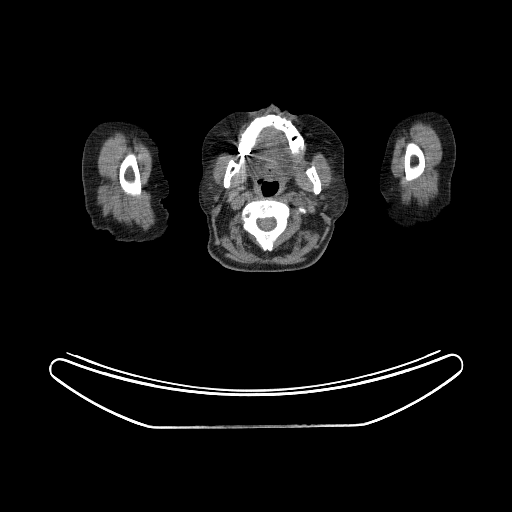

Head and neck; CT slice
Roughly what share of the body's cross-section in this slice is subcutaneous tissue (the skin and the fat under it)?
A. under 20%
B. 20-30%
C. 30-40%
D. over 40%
C. 30-40%
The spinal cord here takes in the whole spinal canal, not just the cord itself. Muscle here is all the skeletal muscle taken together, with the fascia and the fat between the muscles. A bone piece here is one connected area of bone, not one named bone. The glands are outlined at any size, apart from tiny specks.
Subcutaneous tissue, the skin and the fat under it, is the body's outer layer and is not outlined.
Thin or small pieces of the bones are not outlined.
The spinal cord is outlined by [[271,217],[272,217],[273,218],[274,218],[275,219],[275,221],[276,222],[276,223],[275,224],[275,226],[273,228],[272,228],[269,230],[263,230],[262,229],[261,229],[258,226],[258,225],[257,224],[257,219],[259,219],[260,218],[270,218]]. The head and neck is outlined by [[271,92],[272,101],[281,109],[287,107],[293,114],[315,115],[337,134],[344,148],[348,202],[335,221],[324,253],[315,263],[292,271],[238,271],[222,266],[207,251],[206,215],[198,201],[201,147],[205,135],[219,120],[235,111],[253,111],[267,106]]; inner edge: [[262,181],[265,181],[266,182],[273,182],[274,181],[275,181],[276,182],[277,182],[277,183],[278,184],[278,186],[277,187],[277,190],[274,193],[273,193],[270,195],[265,195],[263,193],[263,192],[262,191],[262,186],[260,183],[260,182],[261,182]]. The bones appear in 5 outlined pieces: piece 1: [[269,113],[278,114],[293,123],[304,138],[304,152],[293,155],[284,134],[268,127],[256,140],[250,154],[244,156],[244,161],[240,164],[238,171],[231,177],[229,187],[225,188],[223,177],[229,161],[238,163],[241,158],[238,151],[241,134],[254,118]]; piece 2: [[264,198],[271,198],[283,202],[287,204],[290,209],[290,214],[287,221],[286,228],[274,241],[273,248],[271,251],[268,250],[264,251],[262,250],[257,242],[256,238],[243,228],[242,226],[243,221],[241,219],[241,211],[246,203],[254,200],[260,200]] with a hole at [[271,217],[272,217],[273,218],[274,218],[275,219],[275,221],[276,222],[276,223],[275,224],[275,226],[273,228],[272,228],[269,230],[263,230],[262,229],[261,229],[258,226],[258,225],[257,224],[257,219],[259,219],[260,218],[270,218]]; piece 3: [[129,153],[133,153],[135,155],[136,160],[137,161],[137,164],[138,165],[138,169],[139,170],[139,177],[140,178],[140,182],[141,183],[141,193],[137,196],[133,196],[132,195],[127,194],[122,189],[119,181],[119,167],[120,166],[120,164],[126,155]]; piece 4: [[409,142],[413,142],[415,143],[417,145],[418,145],[422,150],[423,154],[424,155],[425,165],[424,166],[424,169],[422,173],[418,177],[417,177],[413,180],[407,181],[405,179],[405,170],[404,169],[404,156],[405,155],[405,149],[406,148],[406,146]]; piece 5: [[312,165],[313,165],[315,167],[315,169],[318,174],[318,176],[321,182],[321,189],[320,190],[320,192],[318,194],[315,194],[313,192],[313,184],[312,182],[309,179],[308,176],[306,174],[306,169],[307,169]]. The left arm is outlined by [[424,110],[435,110],[443,114],[449,121],[454,134],[456,144],[456,159],[451,178],[451,200],[450,204],[435,222],[424,223],[416,229],[404,229],[396,225],[390,219],[384,209],[384,199],[380,192],[378,183],[380,168],[387,139],[394,125],[403,117]]. The muscle appears in 3 outlined pieces: piece 1: [[264,112],[270,112],[258,115],[254,117],[244,130],[240,134],[237,145],[240,158],[238,162],[230,159],[227,163],[222,177],[225,189],[230,187],[245,156],[251,154],[257,140],[268,128],[283,134],[293,156],[305,152],[303,134],[289,118],[276,113],[298,120],[312,132],[332,167],[329,184],[323,191],[330,217],[328,231],[311,255],[293,264],[238,262],[224,256],[214,242],[211,209],[216,194],[221,190],[212,171],[214,158],[230,131],[250,117]], around holes outlined by [[264,198],[271,198],[283,202],[287,204],[290,209],[290,214],[287,221],[286,228],[274,241],[273,248],[271,251],[268,250],[264,251],[262,250],[257,242],[256,238],[243,228],[242,226],[243,221],[241,219],[241,211],[246,203],[254,200],[260,200]] and by [[312,165],[313,165],[315,167],[315,169],[318,174],[318,176],[321,182],[321,189],[320,190],[320,192],[318,194],[315,194],[313,192],[313,184],[312,182],[309,179],[308,176],[306,174],[306,169],[307,169]] and by [[262,181],[265,181],[266,182],[273,182],[274,181],[275,181],[276,182],[277,182],[277,183],[278,184],[278,186],[277,187],[277,190],[274,193],[273,193],[270,195],[265,195],[263,193],[263,192],[262,191],[262,186],[260,183],[260,182],[261,182]]; piece 2: [[115,131],[123,131],[135,135],[149,148],[151,152],[152,170],[149,182],[149,189],[152,195],[153,211],[155,214],[156,220],[155,223],[148,230],[125,227],[114,221],[109,221],[103,217],[97,208],[97,204],[95,200],[97,157],[102,142]], around a hole outlined by [[129,153],[133,153],[135,155],[136,160],[137,161],[137,164],[138,165],[138,169],[139,170],[139,177],[140,178],[140,182],[141,183],[141,193],[137,196],[133,196],[132,195],[127,194],[122,189],[119,181],[119,167],[120,166],[120,164],[126,155]]; piece 3: [[414,120],[423,121],[430,124],[434,128],[440,138],[443,151],[441,160],[441,170],[439,176],[439,192],[432,200],[431,204],[426,208],[414,208],[403,204],[396,192],[396,189],[391,177],[390,166],[395,145],[396,135],[401,128],[408,125],[410,122]]; inner edge: [[409,142],[413,142],[415,143],[417,145],[418,145],[422,150],[423,154],[424,155],[425,165],[424,166],[424,169],[422,173],[418,177],[417,177],[413,180],[407,181],[405,179],[405,170],[404,169],[404,156],[405,155],[405,149],[406,148],[406,146]]. The right arm is outlined by [[114,119],[125,119],[141,125],[147,130],[159,148],[162,171],[169,185],[168,194],[162,200],[162,204],[169,212],[169,227],[161,237],[152,241],[116,240],[107,230],[93,229],[85,210],[81,180],[81,160],[84,144],[87,136],[96,125],[103,121]]. The parotid glands appear in 2 outlined pieces: piece 1: [[332,170],[336,174],[337,177],[343,185],[343,188],[345,192],[344,205],[335,216],[331,216],[328,212],[328,208],[327,207],[328,203],[326,200],[326,196],[324,193],[324,191],[330,184],[330,181],[332,176],[331,175],[332,174],[331,171]]; piece 2: [[210,166],[211,167],[211,171],[213,177],[217,185],[220,188],[220,190],[215,194],[212,201],[213,203],[210,210],[209,211],[204,211],[202,205],[200,203],[199,200],[199,195],[200,194],[199,188],[202,182],[202,178],[205,173],[205,171],[207,168]].